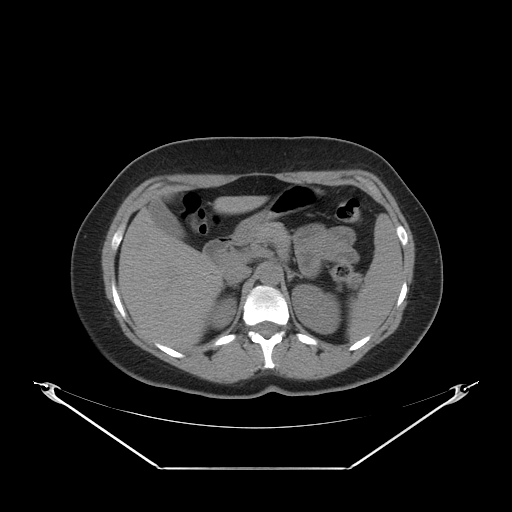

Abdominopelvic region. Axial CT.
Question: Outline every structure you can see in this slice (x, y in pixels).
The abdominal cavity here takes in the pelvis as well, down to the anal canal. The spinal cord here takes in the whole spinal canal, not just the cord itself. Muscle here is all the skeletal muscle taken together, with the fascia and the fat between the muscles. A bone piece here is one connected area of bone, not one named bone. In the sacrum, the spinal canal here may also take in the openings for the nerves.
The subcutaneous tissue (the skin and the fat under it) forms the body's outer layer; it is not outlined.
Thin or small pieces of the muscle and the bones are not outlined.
Answer: {"muscle":[{"outer":[[343,169],[362,169],[363,170],[366,170],[376,175],[382,181],[395,198],[401,212],[408,223],[413,236],[414,246],[415,247],[415,259],[414,260],[413,277],[412,278],[412,283],[410,286],[410,291],[408,295],[408,302],[403,311],[402,318],[398,327],[394,332],[370,349],[357,362],[350,367],[340,372],[335,373],[332,375],[320,379],[301,380],[300,379],[285,378],[284,377],[278,376],[272,373],[265,373],[264,374],[258,375],[253,378],[240,380],[234,383],[222,384],[221,383],[212,382],[205,379],[202,379],[158,358],[156,356],[142,349],[133,343],[124,334],[118,323],[118,321],[113,315],[111,304],[106,297],[105,294],[104,282],[103,281],[103,272],[101,266],[101,251],[103,247],[103,243],[106,237],[106,234],[119,206],[128,194],[139,184],[146,179],[148,179],[156,175],[161,175],[162,174],[175,174],[176,173],[191,173],[192,174],[239,174],[240,173],[247,173],[248,172],[254,172],[255,171],[258,171],[259,172],[278,173],[279,172],[291,172],[292,171],[319,171],[320,170],[342,170]],"holes":[[[251,176],[355,186],[404,228],[401,282],[407,285],[406,295],[357,349],[349,350],[350,343],[318,338],[316,345],[304,343],[296,333],[307,333],[289,318],[282,340],[271,352],[274,366],[264,368],[262,349],[248,336],[250,328],[242,318],[223,334],[235,334],[232,341],[214,346],[212,340],[175,357],[120,314],[111,290],[117,253],[111,239],[120,222],[126,218],[127,223],[134,212],[163,193],[219,187]],[[355,176],[364,177],[370,180],[372,182],[373,182],[378,188],[381,194],[381,196],[379,197],[377,197],[375,195],[374,195],[374,194],[368,188],[366,184],[356,179],[354,177]]]}],"spinal_cord":[[[264,321],[268,321],[269,322],[272,322],[273,323],[274,323],[276,325],[277,325],[277,326],[278,327],[278,330],[275,333],[274,333],[268,338],[266,338],[265,337],[264,337],[255,330],[255,326],[257,324],[258,324],[261,322],[263,322]]],"bones":[{"outer":[[257,285],[271,286],[279,290],[287,302],[289,313],[288,321],[283,327],[285,334],[282,340],[273,347],[271,352],[271,359],[274,364],[272,368],[263,367],[264,356],[262,349],[258,343],[253,342],[248,336],[247,333],[250,328],[242,318],[246,296]],"hole":[[264,321],[268,321],[269,322],[272,322],[273,323],[274,323],[276,325],[277,325],[277,326],[278,327],[278,330],[275,333],[274,333],[268,338],[266,338],[265,337],[264,337],[255,330],[255,326],[257,324],[258,324],[261,322],[263,322]]},[[125,218],[126,218],[126,223],[125,224],[125,227],[123,230],[122,237],[121,238],[121,240],[119,243],[119,245],[118,246],[116,251],[115,251],[111,248],[111,239],[113,236],[113,234],[117,230],[117,229],[120,224],[120,222],[123,219],[124,219]],[[112,280],[114,280],[115,282],[115,285],[116,286],[116,288],[117,289],[121,303],[126,313],[126,319],[123,318],[123,317],[120,314],[119,311],[117,309],[116,306],[114,304],[114,302],[113,301],[113,295],[112,294],[112,291],[111,290],[111,282]],[[355,176],[364,177],[370,180],[372,182],[373,182],[378,188],[381,194],[381,196],[379,197],[377,197],[375,195],[374,195],[374,194],[368,188],[366,184],[356,179],[354,177]],[[155,342],[157,342],[160,344],[165,345],[176,351],[178,351],[179,352],[182,353],[184,355],[184,356],[183,357],[175,357],[174,356],[169,355],[167,353],[164,352],[162,350],[161,350],[159,348],[158,348],[155,345],[155,344],[154,343]],[[231,333],[233,333],[235,334],[236,336],[235,338],[232,341],[228,343],[221,344],[217,346],[214,346],[213,345],[213,343],[214,341],[217,338],[223,335],[226,335],[227,334],[230,334]],[[298,332],[300,333],[302,333],[303,334],[306,334],[309,336],[311,336],[315,338],[317,340],[317,344],[316,345],[313,345],[312,344],[307,344],[306,343],[304,343],[300,341],[297,338],[296,336],[296,333]],[[398,224],[400,224],[401,225],[402,225],[402,226],[404,228],[404,229],[407,234],[407,243],[406,244],[406,245],[405,245],[404,246],[403,246],[402,245],[402,244],[401,243],[401,242],[398,237],[398,235],[397,234],[397,232],[396,231],[396,226]],[[403,281],[404,281],[407,285],[407,291],[406,292],[406,295],[404,299],[402,301],[400,305],[399,306],[397,306],[396,305],[396,302],[397,301],[397,299],[398,298],[398,296],[400,292],[400,289],[401,288],[401,286],[402,285],[402,283]],[[369,334],[370,334],[371,335],[370,338],[363,345],[362,345],[357,349],[355,349],[354,350],[349,350],[348,349],[348,348],[353,343],[354,343],[356,341],[357,341],[358,340],[359,340],[360,339],[363,338],[365,336],[366,336]]],"abdominal_cavity":[[[251,176],[296,184],[355,186],[387,211],[402,246],[403,265],[395,305],[377,329],[346,346],[316,338],[293,323],[282,292],[266,284],[249,290],[237,324],[191,349],[179,351],[154,341],[134,325],[115,274],[117,250],[132,214],[163,193],[219,187]]],"torso":[[[210,136],[335,137],[366,146],[392,165],[429,215],[443,262],[443,291],[437,313],[397,368],[380,379],[343,391],[301,396],[268,392],[250,399],[215,399],[139,381],[95,348],[76,316],[70,294],[70,255],[82,220],[115,176],[136,157],[169,142]]]}